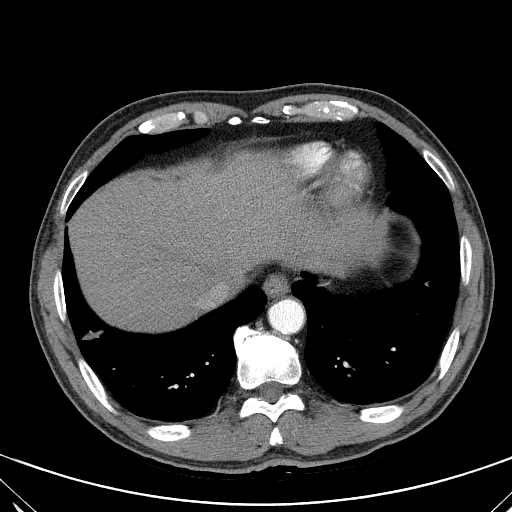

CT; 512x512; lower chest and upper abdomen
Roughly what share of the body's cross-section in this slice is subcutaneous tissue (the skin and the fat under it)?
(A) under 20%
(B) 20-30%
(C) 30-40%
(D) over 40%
(A) under 20%
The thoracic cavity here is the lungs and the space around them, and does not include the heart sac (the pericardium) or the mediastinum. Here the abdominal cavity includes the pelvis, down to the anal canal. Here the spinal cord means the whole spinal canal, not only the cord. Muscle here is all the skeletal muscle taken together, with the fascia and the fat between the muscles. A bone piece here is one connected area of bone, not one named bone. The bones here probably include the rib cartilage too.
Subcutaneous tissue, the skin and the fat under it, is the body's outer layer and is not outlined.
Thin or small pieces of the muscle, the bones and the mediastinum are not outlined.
{"mediastinum":[[[272,118],[376,120],[386,160],[384,184],[389,192],[386,205],[371,201],[376,191],[378,169],[370,152],[353,137],[327,131],[239,139],[160,165],[127,169],[148,154],[165,152],[204,137],[209,132],[205,127],[222,122],[232,126],[243,122],[263,125]],[[274,266],[282,270],[300,273],[300,278],[291,284],[291,292],[301,300],[306,312],[307,330],[302,354],[306,375],[303,373],[303,366],[297,349],[287,339],[268,331],[252,328],[247,324],[264,311],[267,301],[266,294],[260,285],[248,285],[265,269]]],"pericardium":[[[319,132],[333,133],[357,140],[369,152],[377,169],[375,191],[371,200],[352,212],[338,216],[324,216],[315,212],[307,203],[282,189],[278,189],[271,183],[253,175],[244,175],[235,170],[214,152],[214,150],[229,142],[239,140],[265,138],[281,134]]],"thoracic_cavity":[[[378,121],[407,140],[449,192],[459,236],[459,285],[449,333],[431,374],[393,403],[365,406],[337,400],[307,373],[303,354],[307,312],[292,292],[292,284],[306,272],[328,294],[356,297],[391,290],[414,277],[422,239],[409,215],[386,204],[387,160]],[[65,227],[83,299],[100,320],[124,332],[160,335],[180,330],[233,300],[248,287],[260,286],[266,298],[264,309],[255,319],[234,330],[235,378],[209,413],[183,422],[156,424],[155,421],[128,410],[108,393],[83,357],[68,317],[61,270]],[[199,127],[204,127],[208,129],[208,132],[204,136],[190,143],[174,147],[165,151],[157,153],[148,153],[95,189],[79,204],[69,219],[65,220],[65,216],[70,204],[89,174],[123,138],[132,134],[159,134],[178,129],[190,129]]],"bones":[{"outer":[[242,325],[247,325],[252,329],[268,332],[287,340],[296,349],[302,366],[302,376],[294,386],[294,389],[305,404],[304,410],[286,409],[274,423],[265,414],[258,412],[243,418],[238,416],[242,402],[248,394],[235,379],[237,356],[233,335],[235,330]],"hole":[[273,381],[274,382],[277,382],[278,383],[280,383],[281,384],[284,385],[284,392],[279,397],[279,398],[276,401],[275,401],[274,402],[269,402],[268,401],[266,401],[265,400],[262,399],[258,395],[258,388],[260,385],[261,385],[265,382],[272,382]]},[[315,100],[342,100],[343,101],[346,101],[350,104],[357,106],[359,109],[359,112],[353,118],[346,119],[345,120],[327,120],[326,119],[309,120],[308,117],[302,114],[288,115],[282,112],[282,107],[284,105],[289,104],[290,105],[301,106],[303,104]],[[180,110],[184,111],[187,114],[188,121],[186,123],[182,124],[177,129],[173,129],[172,130],[169,130],[164,132],[160,132],[159,133],[140,133],[138,132],[137,127],[145,120],[147,120],[150,118],[153,118],[158,115],[161,115],[170,112],[175,112]],[[79,357],[82,357],[85,360],[85,361],[88,364],[103,385],[105,390],[109,396],[109,400],[111,404],[117,411],[117,413],[116,414],[113,413],[106,408],[97,399],[97,398],[89,388],[84,378],[82,376],[82,374],[77,364],[77,358]],[[394,403],[402,405],[404,407],[404,410],[398,417],[395,418],[393,420],[391,420],[387,422],[375,423],[374,422],[367,422],[366,421],[362,421],[358,417],[359,410],[362,408],[365,408],[366,407],[376,407],[377,406],[382,406],[383,405],[393,404]],[[171,423],[182,423],[183,424],[186,424],[188,425],[192,430],[191,434],[188,437],[182,438],[178,440],[171,440],[170,441],[165,441],[164,440],[160,440],[159,439],[156,439],[147,434],[146,432],[146,429],[151,425],[158,425],[159,424],[170,424]],[[456,326],[459,328],[459,340],[458,341],[457,349],[455,352],[453,359],[446,372],[444,375],[438,381],[437,381],[436,379],[439,371],[437,369],[436,370],[436,366],[438,363],[438,360],[440,357],[442,349],[447,340],[447,338],[450,332],[453,328]],[[462,234],[465,234],[467,236],[467,237],[468,238],[468,239],[469,240],[469,241],[470,242],[470,244],[471,245],[471,268],[470,269],[470,272],[469,273],[469,280],[468,281],[468,283],[466,285],[463,285],[460,282],[460,236]],[[423,148],[426,148],[428,150],[432,152],[436,156],[437,156],[442,162],[442,163],[448,171],[453,181],[453,183],[455,187],[455,189],[454,190],[452,191],[449,191],[449,190],[447,188],[444,182],[424,159],[424,158],[421,154],[421,150]],[[57,268],[59,268],[61,271],[61,278],[62,279],[63,291],[64,292],[64,296],[65,297],[65,305],[66,306],[66,312],[67,313],[67,319],[65,322],[62,322],[58,314],[56,304],[55,303],[54,294],[53,293],[53,279],[54,278],[55,271]],[[85,169],[88,170],[89,173],[87,177],[85,179],[84,182],[79,188],[79,189],[75,194],[74,197],[72,199],[71,202],[69,204],[67,208],[67,210],[65,213],[65,215],[63,216],[60,214],[60,206],[63,199],[63,196],[72,179],[80,172]]],"muscle":[{"outer":[[311,93],[326,93],[342,95],[360,100],[365,103],[380,108],[411,128],[418,136],[429,143],[439,153],[455,176],[463,193],[465,205],[476,223],[484,247],[483,251],[483,273],[484,274],[483,316],[474,346],[463,366],[447,390],[427,412],[418,416],[396,431],[379,438],[359,443],[339,445],[324,453],[304,455],[283,446],[279,447],[274,446],[277,444],[281,445],[283,443],[283,438],[280,430],[278,426],[275,424],[271,429],[268,439],[268,443],[272,446],[260,456],[248,460],[242,461],[239,460],[225,460],[224,461],[222,460],[208,460],[207,461],[196,460],[166,454],[148,447],[131,438],[115,426],[106,422],[99,415],[95,414],[82,401],[73,390],[67,376],[61,369],[45,335],[44,322],[36,288],[38,280],[40,258],[46,246],[50,241],[51,230],[53,224],[53,215],[57,201],[61,195],[65,185],[76,168],[87,159],[96,149],[108,140],[115,131],[128,121],[145,112],[180,102],[202,102],[203,101],[222,103],[235,107],[239,107],[249,111],[253,108],[271,100],[290,95],[310,94]],"holes":[[[315,100],[357,106],[355,118],[385,124],[420,154],[423,148],[432,152],[448,171],[458,235],[465,234],[471,245],[469,280],[459,283],[449,329],[459,328],[453,359],[438,381],[435,367],[419,386],[394,400],[404,410],[387,422],[362,421],[358,415],[364,405],[337,400],[303,373],[294,389],[304,410],[286,409],[274,423],[258,412],[240,418],[248,393],[233,379],[209,413],[182,423],[192,430],[188,437],[156,439],[146,432],[155,421],[110,395],[117,411],[110,411],[77,364],[83,356],[53,293],[63,258],[63,196],[74,177],[85,169],[90,173],[150,118],[181,110],[188,121],[180,128],[210,127],[232,116],[243,122],[258,115],[307,121],[282,107]],[[195,111],[202,111],[203,112],[204,112],[207,115],[207,116],[208,117],[208,122],[207,122],[206,123],[205,123],[204,124],[197,124],[196,123],[195,123],[192,120],[192,119],[191,118],[191,117],[192,116],[192,114]]]}],"torso":[[[304,82],[367,88],[395,99],[433,131],[458,163],[478,202],[493,255],[494,298],[484,343],[463,385],[436,419],[369,454],[238,474],[190,470],[144,457],[110,439],[76,409],[38,341],[29,278],[36,235],[52,192],[88,132],[130,102],[179,90]]],"spinal_cord":[[[273,381],[274,382],[277,382],[278,383],[280,383],[281,384],[284,385],[284,392],[279,397],[279,398],[276,401],[275,401],[274,402],[269,402],[268,401],[266,401],[265,400],[262,399],[258,395],[258,388],[260,385],[261,385],[265,382],[272,382]]],"abdominal_cavity":[[[209,150],[235,171],[271,184],[324,217],[352,213],[370,202],[409,216],[421,239],[413,277],[379,293],[332,294],[306,271],[274,265],[265,268],[233,299],[180,329],[147,334],[108,325],[90,308],[80,290],[65,221],[95,190],[126,169],[160,166]]]}